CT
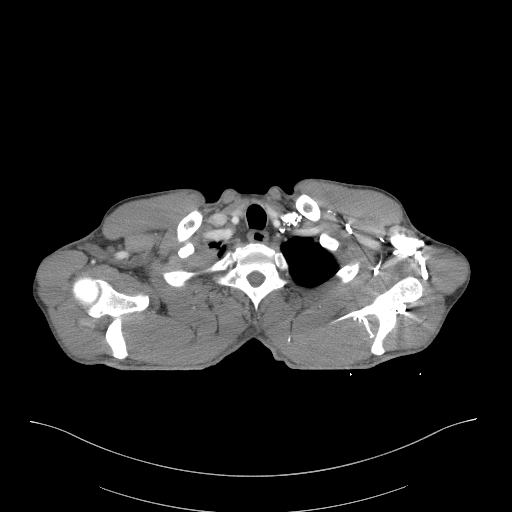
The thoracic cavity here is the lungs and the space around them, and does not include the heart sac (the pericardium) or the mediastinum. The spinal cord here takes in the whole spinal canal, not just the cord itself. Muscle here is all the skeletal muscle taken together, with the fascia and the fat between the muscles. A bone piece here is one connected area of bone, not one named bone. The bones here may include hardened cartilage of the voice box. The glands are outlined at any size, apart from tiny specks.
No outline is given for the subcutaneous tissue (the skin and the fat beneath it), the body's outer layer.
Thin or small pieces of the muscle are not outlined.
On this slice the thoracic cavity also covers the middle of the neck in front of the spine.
{"spinal_cord":[[[254,271],[256,271],[257,272],[259,272],[261,274],[262,274],[264,277],[264,279],[263,280],[263,281],[259,285],[258,285],[257,286],[254,286],[253,285],[252,285],[250,283],[250,282],[248,280],[248,279],[247,278],[247,276],[250,273],[251,273]]],"left_arm":[[[414,225],[420,231],[432,237],[434,239],[454,246],[460,250],[466,256],[469,261],[470,267],[471,268],[471,275],[468,284],[461,280],[458,277],[448,271],[445,268],[417,249],[415,238],[414,237],[411,237],[414,237],[415,236],[415,233],[414,232]]],"thoracic_cavity":[[[252,201],[265,204],[271,219],[278,214],[293,216],[322,248],[333,255],[339,266],[334,274],[312,286],[300,285],[290,275],[283,253],[259,241],[239,242],[210,265],[203,269],[194,268],[188,258],[195,251],[193,240],[203,224],[221,212],[241,216]]],"torso":[[[306,177],[390,192],[413,224],[416,249],[468,285],[427,348],[369,369],[294,370],[251,339],[215,365],[173,371],[82,364],[60,349],[54,338],[82,316],[90,293],[80,238],[114,203],[181,187],[208,202],[228,187],[263,193],[277,185],[290,193]]],"right_arm":[[[77,239],[80,239],[81,244],[83,247],[85,255],[89,264],[89,293],[86,299],[84,310],[81,316],[73,322],[70,323],[61,332],[53,337],[42,312],[36,304],[32,296],[32,292],[31,291],[32,281],[37,266],[44,256],[52,252],[57,248]]],"bones":[{"outer":[[255,242],[279,250],[288,264],[289,273],[287,277],[289,282],[268,293],[260,301],[256,311],[243,291],[215,283],[214,273],[200,272],[187,280],[183,286],[170,285],[162,276],[164,271],[170,270],[201,271],[217,261],[226,251],[233,250],[239,245]],"hole":[[254,271],[256,271],[257,272],[259,272],[261,274],[262,274],[264,277],[264,279],[263,280],[263,281],[259,285],[258,285],[257,286],[254,286],[253,285],[252,285],[250,283],[250,282],[248,280],[248,279],[247,278],[247,276],[250,273],[251,273]]},[[80,276],[102,279],[118,292],[128,295],[139,292],[148,295],[149,304],[146,308],[141,311],[126,313],[122,316],[122,334],[128,352],[125,358],[118,359],[114,357],[105,339],[106,330],[113,318],[107,314],[97,318],[89,315],[73,297],[72,284]],[[408,275],[419,279],[423,288],[422,295],[417,300],[410,300],[398,307],[395,326],[383,340],[385,351],[382,354],[375,355],[370,351],[371,344],[378,329],[378,320],[373,315],[358,316],[353,319],[349,317],[330,324],[332,320],[370,304],[379,294]],[[194,209],[198,209],[201,211],[203,215],[203,218],[200,225],[188,239],[188,240],[194,247],[194,251],[193,253],[192,253],[186,258],[181,258],[177,253],[177,250],[180,245],[178,243],[176,238],[176,229],[177,228],[178,223],[181,220],[181,219]],[[302,193],[304,193],[308,195],[310,197],[311,197],[317,203],[320,209],[320,213],[321,214],[320,216],[320,218],[318,220],[316,220],[314,221],[311,219],[309,219],[306,216],[305,216],[302,213],[301,213],[296,208],[295,206],[295,199],[300,194]],[[352,262],[358,262],[359,263],[359,270],[356,274],[356,275],[350,281],[348,282],[346,282],[345,283],[342,283],[340,279],[337,277],[335,277],[334,275],[335,273],[338,270],[338,269],[341,266],[346,265]],[[322,233],[326,233],[331,237],[333,237],[337,240],[337,241],[338,242],[338,246],[335,250],[335,251],[333,253],[331,253],[329,251],[328,251],[326,249],[325,249],[323,247],[322,247],[319,243],[318,240],[319,239],[319,237],[320,236],[320,235]]],"muscle":[{"outer":[[304,181],[380,192],[399,205],[414,242],[465,261],[466,278],[424,343],[384,353],[399,307],[423,295],[408,274],[329,322],[377,320],[369,347],[377,356],[361,363],[299,364],[254,329],[202,363],[126,362],[123,316],[150,297],[89,275],[73,280],[71,294],[89,316],[112,318],[104,339],[117,359],[81,357],[64,344],[38,294],[40,269],[60,251],[93,244],[116,208],[183,191],[209,205],[229,191],[291,195]],"holes":[[[252,201],[290,214],[317,241],[322,233],[336,239],[335,261],[340,267],[358,262],[356,275],[312,286],[290,275],[256,311],[243,291],[215,283],[214,273],[168,284],[164,271],[202,270],[177,253],[183,217],[194,209],[203,215],[192,244],[211,217]],[[302,193],[304,193],[308,195],[310,197],[311,197],[317,203],[320,209],[320,213],[321,214],[320,216],[320,218],[318,220],[316,220],[314,221],[311,219],[309,219],[306,216],[305,216],[302,213],[301,213],[296,208],[295,206],[295,199],[300,194]]]}],"thyroid_glands":[[[244,202],[246,202],[247,203],[246,204],[246,205],[245,206],[245,207],[243,210],[243,212],[242,213],[242,214],[241,215],[239,215],[238,214],[236,214],[235,213],[234,213],[234,211],[238,207],[238,206],[239,206],[242,203],[243,203]],[[266,205],[267,205],[268,206],[269,206],[270,207],[271,207],[277,213],[277,215],[275,217],[274,217],[273,218],[271,218],[269,216],[269,215],[268,214],[268,213],[267,212],[267,210],[266,209],[266,207],[265,206]]]}